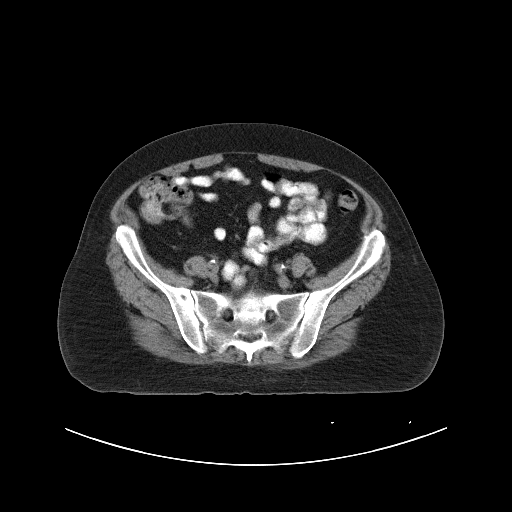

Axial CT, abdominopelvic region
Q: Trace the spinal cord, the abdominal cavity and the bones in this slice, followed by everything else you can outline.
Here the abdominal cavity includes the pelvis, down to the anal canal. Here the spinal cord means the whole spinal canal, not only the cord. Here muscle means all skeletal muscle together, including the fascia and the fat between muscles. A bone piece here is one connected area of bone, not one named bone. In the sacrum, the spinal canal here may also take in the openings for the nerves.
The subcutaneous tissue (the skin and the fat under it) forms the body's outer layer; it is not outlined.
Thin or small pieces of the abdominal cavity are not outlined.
A: {"spinal_cord":[[[248,335],[259,335],[259,337],[258,338],[257,338],[256,339],[255,339],[254,340],[253,340],[252,341],[247,341],[246,340],[245,340],[244,339],[243,339],[242,338],[241,338],[240,337],[240,336],[247,336]],[[225,311],[226,311],[227,311],[228,311],[228,312],[228,313],[229,314],[229,315],[229,316],[229,317],[228,317],[227,317],[226,317],[225,316],[225,315],[224,314],[224,313],[224,312]],[[270,312],[271,312],[272,313],[273,313],[273,314],[273,315],[273,316],[273,317],[272,318],[271,318],[270,318],[269,318],[268,317],[268,316],[268,315],[269,314],[269,313]]],"abdominal_cavity":[[[230,155],[329,172],[353,186],[366,207],[353,251],[325,274],[297,252],[291,272],[308,279],[307,290],[250,289],[237,297],[193,288],[193,277],[208,271],[202,255],[188,257],[183,274],[154,259],[126,202],[130,194],[154,175],[206,168]]],"bones":[{"outer":[[120,224],[135,231],[147,264],[165,283],[233,298],[331,286],[353,265],[364,234],[376,228],[386,243],[380,259],[329,301],[304,355],[293,357],[287,344],[279,353],[268,346],[248,362],[232,345],[199,354],[186,343],[166,295],[116,241]],"hole":[[248,335],[259,335],[259,337],[258,338],[257,338],[256,339],[255,339],[254,340],[253,340],[252,341],[247,341],[246,340],[245,340],[244,339],[243,339],[242,338],[241,338],[240,337],[240,336],[247,336]]}],"muscle":[{"outer":[[232,150],[236,151],[254,151],[267,154],[275,154],[304,160],[329,167],[346,175],[357,182],[367,190],[379,203],[386,221],[389,236],[389,243],[391,251],[390,271],[386,278],[384,286],[369,301],[364,309],[363,318],[358,324],[356,341],[347,351],[345,351],[336,356],[314,363],[307,367],[296,369],[278,370],[277,369],[271,369],[266,366],[259,366],[258,365],[257,366],[246,366],[239,364],[227,364],[220,362],[215,364],[189,364],[173,361],[167,358],[159,357],[152,354],[136,344],[132,339],[129,325],[120,296],[115,288],[109,268],[105,262],[107,246],[111,236],[111,222],[109,219],[109,213],[113,204],[116,199],[126,188],[151,171],[199,156]],"hole":[[230,155],[329,172],[362,195],[345,259],[325,274],[301,251],[289,260],[308,291],[350,269],[364,234],[385,237],[299,358],[287,344],[250,362],[232,345],[197,353],[116,241],[129,225],[151,270],[192,289],[206,259],[162,265],[126,201],[154,175]]}],"torso":[[[223,122],[275,123],[319,134],[359,155],[385,180],[412,228],[437,283],[443,305],[443,342],[435,367],[425,381],[412,389],[399,392],[136,395],[95,391],[70,375],[57,337],[59,294],[64,274],[75,252],[97,190],[122,160],[150,141],[183,129]]]}